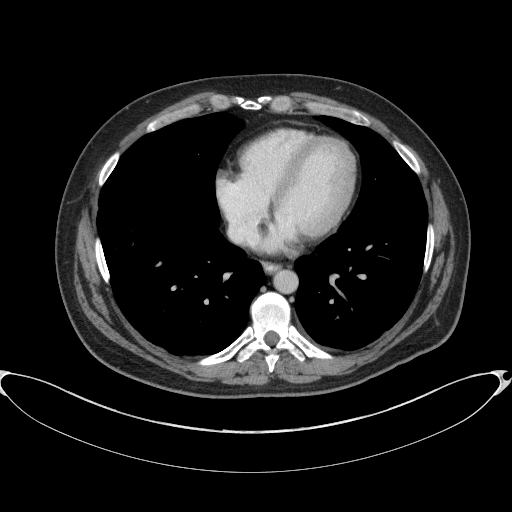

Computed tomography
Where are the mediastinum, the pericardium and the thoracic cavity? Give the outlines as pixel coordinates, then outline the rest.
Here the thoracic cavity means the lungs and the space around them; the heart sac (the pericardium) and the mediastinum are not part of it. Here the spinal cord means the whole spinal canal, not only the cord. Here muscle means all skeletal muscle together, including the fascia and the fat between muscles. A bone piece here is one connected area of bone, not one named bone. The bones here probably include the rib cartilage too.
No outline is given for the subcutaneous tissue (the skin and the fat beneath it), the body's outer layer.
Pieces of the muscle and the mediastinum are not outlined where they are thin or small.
{"mediastinum":[[[292,309],[293,309],[294,298],[299,282],[297,274],[294,269],[294,264],[284,265],[283,264],[264,261],[253,257],[246,253],[248,257],[257,260],[261,264],[265,276],[265,281],[255,297],[259,294],[268,290],[273,290],[283,295],[288,300]],[[229,145],[258,125],[270,120],[280,118],[300,119],[329,127],[318,119],[319,115],[315,114],[275,113],[270,111],[267,108],[263,108],[257,111],[252,111],[251,110],[244,110],[239,107],[231,107],[224,110],[240,118],[245,123],[245,126],[232,139]]],"pericardium":[[[284,264],[294,263],[295,260],[300,256],[314,253],[316,247],[337,230],[349,214],[356,201],[361,185],[361,167],[357,151],[348,140],[337,132],[305,121],[280,119],[258,126],[227,148],[220,162],[216,176],[216,197],[224,230],[229,241],[253,256]]],"thoracic_cavity":[[[177,355],[206,355],[227,346],[250,322],[249,305],[264,281],[260,264],[217,230],[220,219],[215,197],[217,168],[229,142],[244,126],[240,119],[225,111],[184,118],[140,137],[121,155],[98,200],[98,234],[110,271],[110,285],[120,309],[147,339]],[[342,350],[353,350],[376,339],[409,305],[422,273],[427,206],[418,177],[385,139],[368,127],[320,115],[321,121],[348,139],[358,151],[362,185],[353,209],[338,230],[320,244],[314,254],[296,260],[295,269],[300,282],[294,309],[301,324],[315,339]]],"spinal_cord":[[[271,346],[273,346],[278,341],[278,339],[279,338],[279,337],[278,336],[278,335],[275,332],[274,332],[273,331],[269,331],[268,332],[267,332],[266,333],[266,334],[264,337],[264,340],[265,341],[265,342],[267,344],[268,344]]],"muscle":[[[241,385],[262,385],[276,378],[291,383],[306,383],[325,375],[350,373],[375,360],[417,329],[435,312],[449,283],[455,256],[455,238],[437,181],[430,175],[417,152],[384,123],[364,111],[329,97],[304,91],[271,95],[289,95],[295,102],[295,108],[290,113],[310,113],[302,106],[307,100],[357,109],[370,119],[369,127],[390,143],[397,139],[405,144],[421,166],[421,174],[418,176],[428,206],[428,222],[435,228],[432,262],[429,270],[422,274],[410,305],[393,326],[359,349],[342,351],[319,343],[300,324],[292,310],[292,322],[299,331],[332,353],[335,356],[332,360],[307,358],[300,362],[282,350],[279,351],[280,357],[274,371],[269,373],[264,360],[265,353],[262,351],[257,351],[242,363],[238,363],[234,357],[210,366],[196,363],[202,356],[173,355],[147,340],[129,323],[119,309],[110,286],[103,281],[97,268],[93,250],[93,240],[98,235],[96,213],[100,188],[97,178],[102,165],[111,154],[97,168],[80,210],[74,253],[74,285],[81,308],[94,326],[122,347],[189,379],[219,380]],[[121,154],[134,141],[144,134],[145,126],[149,121],[162,114],[194,102],[200,103],[204,108],[201,114],[214,111],[207,103],[207,98],[214,93],[221,93],[214,91],[199,92],[169,105],[157,113],[149,116],[140,122],[120,140],[114,151],[119,150]]],"bones":[{"outer":[[269,372],[273,371],[278,351],[282,349],[300,361],[307,357],[334,358],[298,331],[291,322],[291,308],[287,300],[273,291],[261,294],[252,301],[251,322],[234,341],[197,361],[200,365],[210,365],[234,356],[242,362],[257,350],[262,350],[266,353]],"hole":[[271,346],[273,346],[278,341],[278,339],[279,338],[279,337],[278,336],[278,335],[275,332],[274,332],[273,331],[269,331],[268,332],[267,332],[266,333],[266,334],[264,337],[264,340],[265,341],[265,342],[267,344],[268,344]]},[[289,113],[294,108],[294,102],[289,96],[262,95],[253,100],[245,99],[236,95],[229,97],[222,94],[214,94],[208,98],[208,103],[215,111],[223,110],[233,104],[236,104],[244,109],[252,110],[257,110],[262,108],[264,105],[267,105],[272,111]],[[364,126],[369,126],[370,121],[367,117],[357,110],[352,110],[351,109],[347,109],[342,107],[331,106],[327,104],[324,104],[315,101],[307,101],[303,104],[303,106],[311,113],[332,115],[333,116],[342,118],[352,123],[358,124],[359,125],[363,125]],[[145,133],[147,133],[151,131],[154,131],[178,119],[180,119],[184,117],[193,116],[194,115],[199,115],[203,108],[200,104],[198,103],[194,103],[185,107],[183,107],[180,109],[177,109],[176,110],[174,110],[172,112],[162,115],[148,123],[145,129]],[[417,175],[419,175],[420,174],[420,166],[416,158],[414,156],[412,152],[405,145],[404,145],[399,141],[397,140],[393,140],[391,143],[393,147],[396,150],[396,151],[399,154],[399,155],[404,160],[404,161]],[[107,284],[109,284],[109,271],[108,270],[108,268],[105,261],[105,258],[103,254],[103,250],[102,249],[102,246],[101,245],[99,237],[97,236],[94,240],[94,250],[95,251],[95,257],[96,258],[96,261],[98,265],[99,271],[104,281]],[[423,273],[425,273],[428,270],[428,268],[430,265],[431,259],[432,258],[432,253],[433,252],[433,246],[434,245],[434,228],[433,227],[433,225],[430,222],[429,222],[427,225],[426,245],[425,246],[425,253],[424,254],[424,259],[423,260]],[[99,187],[101,187],[103,185],[103,184],[105,182],[105,181],[113,170],[114,167],[116,165],[118,161],[118,159],[120,156],[120,152],[119,151],[116,151],[114,152],[107,159],[107,160],[103,165],[101,170],[99,172],[99,177],[98,178],[98,185]]],"torso":[[[212,399],[299,397],[339,391],[439,347],[453,332],[463,305],[470,257],[466,201],[453,170],[431,138],[379,93],[350,81],[303,73],[183,81],[148,92],[120,108],[79,154],[62,194],[54,244],[58,286],[76,334],[96,359],[121,375],[169,392]]]}